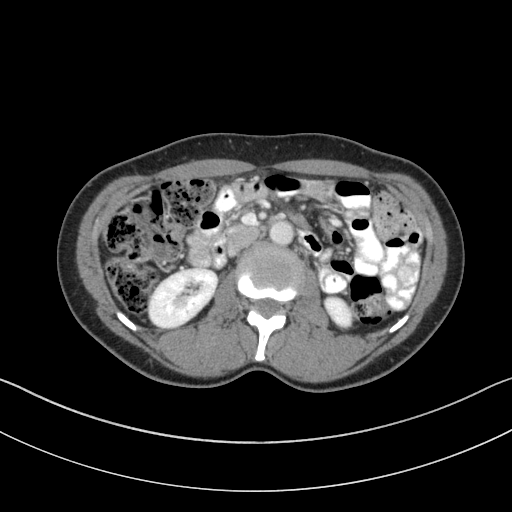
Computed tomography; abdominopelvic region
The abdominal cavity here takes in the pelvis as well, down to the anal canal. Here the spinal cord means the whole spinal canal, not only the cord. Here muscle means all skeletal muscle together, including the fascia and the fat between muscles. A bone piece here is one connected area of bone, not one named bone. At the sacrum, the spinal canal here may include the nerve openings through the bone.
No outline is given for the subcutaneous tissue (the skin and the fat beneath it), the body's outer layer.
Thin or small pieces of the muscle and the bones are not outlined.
{"bones":[{"outer":[[257,361],[262,361],[265,358],[265,345],[269,335],[285,324],[285,304],[297,294],[299,284],[297,259],[292,251],[274,249],[264,242],[244,252],[237,267],[236,277],[238,291],[249,300],[246,306],[246,319],[258,330],[259,339],[254,357]],"hole":[[265,317],[269,317],[273,314],[278,312],[281,308],[281,303],[278,301],[276,301],[275,300],[274,300],[273,299],[271,299],[270,298],[263,298],[262,299],[257,299],[256,300],[255,300],[253,302],[253,306],[254,307],[254,308],[260,314],[261,314]]},[[133,331],[136,331],[137,330],[137,326],[133,322],[132,322],[120,310],[119,310],[118,309],[117,309],[117,310],[116,311],[116,314],[117,315],[117,317],[126,326],[127,326],[130,329],[131,329]],[[390,333],[391,333],[392,332],[395,331],[398,328],[399,328],[402,325],[403,325],[405,323],[405,322],[407,320],[407,319],[408,318],[408,314],[407,313],[404,314],[404,315],[403,316],[402,316],[393,325],[392,325],[389,328],[388,331]]],"muscle":[{"outer":[[304,382],[326,382],[354,373],[401,343],[415,330],[441,289],[447,270],[447,236],[430,196],[415,179],[330,159],[255,165],[207,158],[149,175],[120,176],[104,186],[82,217],[75,250],[79,277],[96,301],[96,314],[112,332],[163,366],[208,378],[256,361],[258,334],[245,319],[248,300],[236,289],[236,267],[222,274],[214,303],[196,322],[165,332],[138,326],[133,332],[116,317],[117,307],[99,259],[96,238],[111,209],[153,183],[200,174],[274,168],[362,176],[386,183],[414,212],[428,244],[420,282],[407,311],[409,318],[391,334],[388,328],[362,336],[337,334],[328,327],[313,270],[297,260],[299,292],[286,304],[286,324],[270,335],[266,358],[260,362]],"hole":[[430,242],[430,241],[431,240],[431,239],[432,238],[432,234],[431,233],[431,229],[430,228],[430,226],[428,226],[428,239],[429,240],[429,241]]}],"torso":[[[315,393],[359,386],[399,367],[433,335],[457,297],[465,265],[462,231],[446,194],[425,169],[402,156],[328,133],[208,132],[187,136],[114,163],[81,187],[60,226],[56,269],[65,301],[89,335],[124,364],[161,383],[210,388],[260,370],[291,387]]],"spinal_cord":[[[265,317],[269,317],[273,314],[278,312],[281,308],[281,303],[278,301],[276,301],[275,300],[274,300],[273,299],[271,299],[270,298],[263,298],[262,299],[257,299],[256,300],[255,300],[253,302],[253,306],[254,307],[254,308],[260,314],[261,314]]],"abdominal_cavity":[[[362,335],[389,327],[406,312],[427,244],[413,212],[384,183],[274,169],[172,178],[117,205],[97,238],[110,293],[118,308],[138,325],[165,331],[196,321],[213,303],[221,274],[236,266],[245,250],[264,241],[274,248],[292,250],[314,270],[330,328]]]}